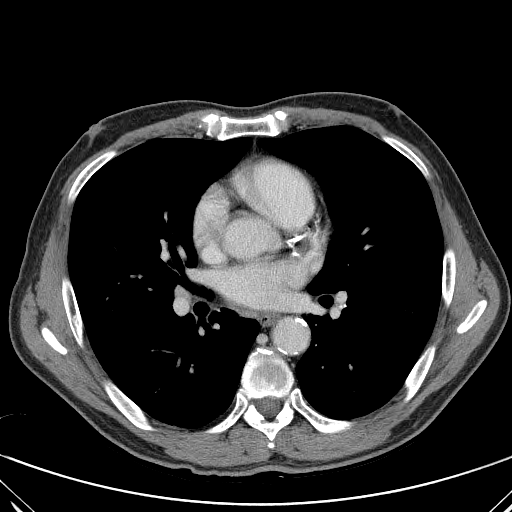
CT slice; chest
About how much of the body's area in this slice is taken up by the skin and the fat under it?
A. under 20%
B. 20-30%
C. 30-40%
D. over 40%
Answer: A. under 20%
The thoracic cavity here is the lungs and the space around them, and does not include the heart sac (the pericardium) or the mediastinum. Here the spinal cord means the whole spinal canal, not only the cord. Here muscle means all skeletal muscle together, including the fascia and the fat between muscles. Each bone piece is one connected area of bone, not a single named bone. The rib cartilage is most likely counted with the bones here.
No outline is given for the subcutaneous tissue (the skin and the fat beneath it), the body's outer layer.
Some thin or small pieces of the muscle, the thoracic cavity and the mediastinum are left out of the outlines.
Outlines:
spinal cord: 268 396; 270 396; 271 397; 275 397; 279 399; 280 400; 280 403; 281 404; 281 406; 280 407; 280 409; 279 411; 272 418; 267 418; 265 417; 257 409; 257 407; 256 406; 256 401; 257 400; 259 399; 261 399; 264 397; 267 397
torso: 314 91; 387 100; 437 144; 506 274; 511 308; 505 326; 431 423; 405 445; 365 463; 311 473; 264 471; 232 477; 199 475; 138 458; 103 436; 36 377; 10 341; 10 295; 31 220; 51 174; 91 124; 122 110; 177 99; 251 106
thoracic cavity 1: 192 134; 219 141; 251 138; 245 153; 199 198; 192 220; 192 241; 199 283; 213 292; 211 305; 254 319; 259 325; 232 407; 214 424; 195 429; 149 417; 108 376; 85 333; 67 263; 74 203; 88 180; 114 157; 146 140
thoracic cavity 2: 327 125; 357 127; 416 167; 431 192; 444 248; 441 300; 425 347; 401 389; 377 409; 352 419; 317 411; 304 398; 295 378; 296 365; 312 341; 304 319; 314 299; 307 285; 324 263; 335 228; 323 192; 305 169; 258 145; 261 138
muscle: 279 106; 323 107; 366 115; 417 147; 437 172; 472 253; 478 262; 482 258; 495 276; 500 306; 465 365; 400 422; 383 443; 327 460; 274 453; 267 460; 246 464; 201 465; 172 457; 69 391; 24 344; 19 305; 29 284; 39 278; 61 189; 83 161; 128 131; 189 111; 217 109; 233 116; 215 112; 198 115; 195 127; 203 130; 202 134; 152 137; 120 153; 106 149; 81 169; 69 188; 66 201; 73 206; 66 252; 68 275; 61 277; 60 293; 75 342; 82 349; 85 334; 108 377; 101 382; 108 398; 133 425; 145 431; 158 430; 151 418; 184 429; 206 428; 205 434; 220 434; 241 418; 265 435; 269 449; 275 447; 277 433; 296 414; 318 432; 335 434; 349 430; 353 419; 377 410; 400 390; 404 391; 402 403; 407 403; 419 390; 435 357; 436 344; 426 345; 440 303; 450 306; 456 282; 456 255; 452 247; 444 247; 427 182; 431 174; 425 163; 393 135; 381 133; 379 138; 350 124; 291 127; 289 113; 282 108; 243 117; inner edges: 483 298; 485 298; 487 300; 487 304; 482 314; 471 327; 470 327; 465 332; 461 334; 458 334; 456 332; 456 328; 458 326; 458 325; 466 317; 466 316; 468 314; 468 313; 470 311; 472 307; 476 303; 476 302; 477 302; 479 300, then 42 326; 45 326; 47 327; 54 334; 54 335; 56 337; 58 341; 68 350; 68 352; 67 354; 65 355; 63 355; 59 353; 57 351; 53 349; 45 341; 44 338; 41 334; 41 331; 40 330
mediastinum 1: 198 260; 201 271; 214 288; 246 308; 283 308; 306 286; 313 297; 307 305; 309 312; 303 316; 311 331; 311 341; 296 363; 294 374; 288 363; 271 348; 257 346; 250 352; 260 331; 258 321; 212 305; 214 292; 200 283
mediastinum 2: 249 136; 265 136; 264 137; 261 137; 257 141; 257 145; 259 147; 262 148; 264 150; 267 151; 270 154; 271 154; 252 154; 251 155; 250 155; 239 161; 239 160; 246 153; 246 152; 249 149; 249 148; 252 144; 252 138; 250 136
bones 1: 257 347; 271 349; 287 363; 295 384; 312 408; 332 419; 352 420; 353 425; 347 430; 324 433; 296 413; 291 422; 276 433; 273 448; 267 446; 269 440; 263 432; 247 424; 241 417; 225 431; 205 433; 233 407; 244 365; 249 354 with a hole at 268 396; 270 396; 271 397; 275 397; 279 399; 280 400; 280 403; 281 404; 281 406; 280 407; 280 409; 279 411; 272 418; 267 418; 265 417; 257 409; 257 407; 256 406; 256 401; 257 400; 259 399; 261 399; 264 397; 267 397
bones 2: 278 109; 282 109; 288 113; 290 127; 287 131; 282 132; 275 136; 244 135; 224 140; 219 140; 206 136; 203 129; 199 129; 196 127; 199 121; 198 116; 207 113; 215 113; 221 116; 228 116; 236 118; 254 118; 270 113; 271 114
bones 3: 107 378; 109 378; 126 396; 127 396; 133 402; 134 402; 145 413; 145 414; 148 417; 151 424; 154 427; 155 427; 157 430; 155 431; 152 431; 151 430; 145 430; 137 427; 134 424; 133 424; 114 405; 109 398; 102 384; 102 382
bones 4: 63 276; 68 276; 69 277; 70 282; 73 288; 73 291; 77 303; 77 306; 79 310; 79 313; 82 320; 83 330; 84 331; 84 346; 82 348; 81 348; 76 342; 76 340; 70 328; 67 315; 65 311; 63 298; 61 293; 61 280
bones 5: 433 343; 435 344; 436 349; 435 350; 434 357; 431 362; 431 364; 428 369; 428 371; 422 383; 420 385; 418 390; 415 394; 407 402; 403 403; 403 398; 405 394; 405 391; 402 389; 402 388; 403 387; 404 382; 424 349; 427 346
bones 6: 108 149; 114 149; 117 151; 118 154; 114 156; 111 159; 102 165; 87 180; 87 181; 81 188; 73 203; 68 203; 67 201; 67 197; 68 196; 70 188; 78 174; 82 170; 82 169; 83 169; 92 160; 96 158; 99 155
bones 7: 448 247; 450 247; 453 249; 454 254; 455 255; 455 282; 454 283; 453 293; 452 294; 450 304; 448 307; 445 307; 443 303; 443 301; 441 298; 441 289; 442 288; 442 274; 443 273; 443 255; 444 254; 445 249
bones 8: 381 134; 386 134; 390 136; 393 136; 395 138; 402 142; 405 145; 406 145; 424 163; 430 174; 430 178; 429 179; 426 179; 424 177; 422 173; 417 168; 417 167; 410 160; 409 160; 404 155; 403 155; 396 149; 382 140; 381 139
bones 9: 483 298; 485 298; 487 300; 487 304; 482 314; 471 327; 470 327; 465 332; 461 334; 458 334; 456 332; 456 328; 458 326; 458 325; 466 317; 466 316; 468 314; 468 313; 470 311; 472 307; 476 303; 476 302; 477 302; 479 300
bones 10: 42 326; 45 326; 47 327; 54 334; 54 335; 56 337; 58 341; 68 350; 68 352; 67 354; 65 355; 63 355; 59 353; 57 351; 53 349; 45 341; 44 338; 41 334; 41 331; 40 330
pericardium: 252 155; 273 155; 294 164; 309 174; 313 178; 321 192; 332 225; 332 233; 320 269; 294 300; 283 307; 274 309; 255 309; 246 307; 217 290; 200 267; 200 262; 193 241; 193 220; 195 209; 204 192; 211 184; 224 176; 238 162